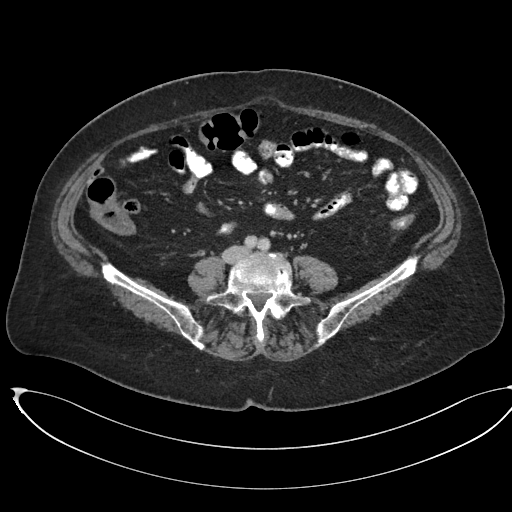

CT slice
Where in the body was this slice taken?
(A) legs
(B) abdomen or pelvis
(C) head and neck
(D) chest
Answer: (B) abdomen or pelvis
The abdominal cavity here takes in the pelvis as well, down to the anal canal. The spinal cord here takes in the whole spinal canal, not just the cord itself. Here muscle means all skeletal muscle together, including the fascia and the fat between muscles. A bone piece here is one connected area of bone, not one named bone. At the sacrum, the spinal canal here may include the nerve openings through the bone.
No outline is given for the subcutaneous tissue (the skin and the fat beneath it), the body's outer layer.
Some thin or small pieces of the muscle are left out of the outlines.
{"abdominal_cavity":[[[256,104],[361,130],[403,149],[437,205],[437,227],[397,266],[324,300],[318,295],[337,286],[337,272],[307,254],[291,264],[281,251],[253,251],[230,267],[227,279],[218,255],[203,257],[186,278],[189,300],[124,273],[74,224],[100,163],[129,140]]],"muscle":[[[256,97],[310,106],[377,125],[419,152],[443,174],[456,196],[461,213],[457,246],[437,269],[419,274],[380,313],[319,349],[287,362],[272,361],[261,354],[246,361],[231,361],[202,351],[206,346],[201,339],[205,330],[189,307],[129,276],[148,282],[175,298],[189,301],[195,296],[187,281],[194,264],[203,258],[218,256],[224,264],[226,286],[209,294],[205,302],[224,307],[236,315],[246,312],[255,322],[255,338],[261,343],[265,338],[263,321],[267,316],[280,320],[292,308],[312,301],[309,296],[292,288],[295,256],[317,258],[335,270],[336,286],[317,295],[323,301],[395,268],[375,284],[335,302],[329,308],[314,328],[313,347],[318,348],[338,333],[356,308],[417,271],[420,256],[409,254],[412,246],[440,223],[438,205],[418,164],[397,144],[361,129],[270,103],[256,103],[145,133],[113,149],[85,182],[73,212],[73,224],[109,260],[99,264],[101,276],[161,309],[194,347],[135,317],[99,282],[70,269],[51,238],[50,220],[55,200],[68,178],[93,153],[138,129],[183,115],[241,104]]],"spinal_cord":[[[260,293],[261,293],[262,294],[267,294],[268,295],[269,295],[269,296],[264,302],[264,304],[262,306],[262,307],[259,310],[258,310],[253,304],[253,303],[252,302],[252,300],[251,299],[251,298],[249,296],[249,295],[252,295],[253,294],[259,294]]],"bones":[{"outer":[[253,252],[283,253],[291,265],[292,290],[311,299],[307,304],[292,307],[280,319],[267,315],[262,321],[264,338],[261,342],[256,338],[256,322],[246,311],[236,314],[224,306],[206,302],[206,298],[209,295],[221,292],[226,288],[231,267]],"hole":[[260,293],[261,293],[262,294],[267,294],[268,295],[269,295],[269,296],[264,302],[264,304],[262,306],[262,307],[259,310],[258,310],[253,304],[253,303],[252,302],[252,300],[251,299],[251,298],[249,296],[249,295],[252,295],[253,294],[259,294]]},[[106,261],[109,261],[120,271],[140,285],[164,297],[178,301],[186,305],[195,320],[203,327],[204,332],[200,339],[204,343],[204,348],[200,350],[191,344],[180,333],[174,321],[161,308],[141,296],[119,285],[107,281],[102,276],[100,269],[100,264]],[[414,254],[417,254],[419,256],[419,259],[416,271],[413,274],[378,292],[360,304],[348,315],[334,336],[328,339],[322,345],[318,347],[314,347],[317,338],[315,332],[316,325],[328,313],[330,308],[335,303],[350,298],[375,285],[389,275],[409,255]]],"torso":[[[265,68],[309,71],[371,89],[408,110],[443,142],[476,195],[502,281],[505,315],[497,337],[410,385],[301,411],[255,406],[228,411],[178,403],[123,387],[63,360],[16,350],[5,329],[6,306],[38,184],[67,140],[104,110],[155,85],[206,72]]]}